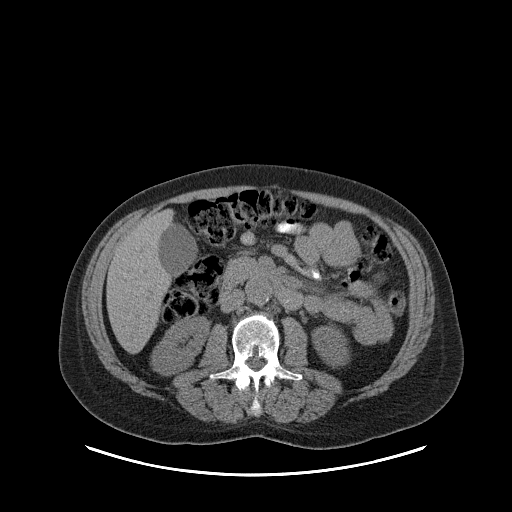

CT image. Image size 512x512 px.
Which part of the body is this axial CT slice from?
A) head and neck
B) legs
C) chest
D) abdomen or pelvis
Answer: D) abdomen or pelvis
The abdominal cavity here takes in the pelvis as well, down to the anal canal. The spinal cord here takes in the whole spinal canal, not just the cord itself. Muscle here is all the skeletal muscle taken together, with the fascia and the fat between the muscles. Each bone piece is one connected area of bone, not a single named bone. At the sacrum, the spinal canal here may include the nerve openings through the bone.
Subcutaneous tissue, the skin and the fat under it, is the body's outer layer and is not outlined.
The torso is outlined by 241,163 304,167 360,181 399,201 425,226 452,285 464,346 459,384 435,415 416,426 335,449 302,448 262,437 203,445 166,444 103,423 74,397 59,369 59,325 71,270 92,232 112,210 143,189 199,170. The bones are outlined by 260,312 273,319 279,330 277,356 280,364 300,373 302,378 275,378 270,386 261,381 257,392 260,413 254,415 250,407 256,393 251,382 240,390 233,380 211,379 209,375 232,365 231,336 234,327 243,317, around a hole outlined by 253,356 256,356 258,358 262,358 265,361 265,363 264,364 264,365 261,368 260,368 258,370 254,370 253,369 252,369 250,367 249,367 248,366 248,365 246,363 246,361 249,358 250,358 251,357 252,357. The abdominal cavity is outlined by 248,188 364,215 390,237 409,280 408,328 372,382 345,390 335,375 309,367 300,322 283,317 281,334 261,311 240,318 230,342 228,326 215,323 199,367 167,386 148,383 117,356 102,293 118,241 168,204. The muscle is outlined by 270,184 277,184 282,187 286,187 291,189 326,194 352,201 355,203 362,205 382,216 390,218 407,229 416,238 426,255 431,270 431,276 433,281 434,293 435,294 435,308 434,309 434,318 432,323 431,334 427,341 426,345 419,354 416,362 397,382 387,390 377,395 367,397 358,401 351,402 344,408 337,410 330,414 326,414 307,424 304,424 300,426 278,426 277,425 272,425 269,423 267,423 258,416 254,416 246,421 240,422 237,424 226,424 225,425 211,424 197,419 191,415 189,415 166,401 162,401 152,397 148,397 133,391 125,382 116,378 104,367 100,361 96,353 96,350 89,338 84,323 83,314 81,309 82,282 87,265 97,245 107,231 118,220 125,215 134,210 150,206 153,204 158,203 162,200 173,197 176,195 193,190 212,188 213,187 222,187 223,186 230,186 231,185 257,185 261,186 262,185 269,185; inner edge: 248,188 364,215 390,237 409,280 408,328 372,382 345,390 309,367 308,335 288,315 277,356 302,378 261,381 258,415 251,382 209,377 234,360 225,324 199,367 167,386 117,356 102,293 118,241 168,204. The spinal cord is outlined by 253,356 256,356 258,358 262,358 265,361 265,363 264,364 264,365 261,368 260,368 258,370 254,370 253,369 252,369 250,367 249,367 248,366 248,365 246,363 246,361 249,358 250,358 251,357 252,357.